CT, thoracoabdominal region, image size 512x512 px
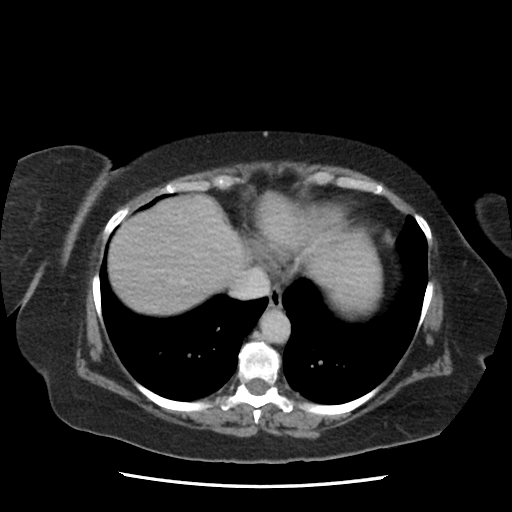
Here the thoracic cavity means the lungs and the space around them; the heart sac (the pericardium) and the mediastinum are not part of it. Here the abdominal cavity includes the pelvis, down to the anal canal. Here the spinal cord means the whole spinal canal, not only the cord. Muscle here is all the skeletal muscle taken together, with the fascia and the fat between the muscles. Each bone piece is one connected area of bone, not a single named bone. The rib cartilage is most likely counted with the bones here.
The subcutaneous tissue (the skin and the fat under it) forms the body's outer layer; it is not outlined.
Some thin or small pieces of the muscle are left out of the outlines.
Outlined structures:
thoracic cavity 1: [[406,215],[413,217],[427,243],[427,281],[409,344],[387,376],[362,395],[335,404],[309,401],[280,379],[282,357],[292,331],[283,304],[286,289],[305,277],[316,286],[327,309],[339,320],[363,323],[384,317],[404,293],[408,281],[406,258],[396,242]]
thoracic cavity 2: [[117,226],[108,242],[107,280],[117,299],[138,315],[152,318],[179,316],[219,294],[226,294],[240,301],[267,299],[263,311],[242,341],[237,354],[237,367],[234,375],[215,393],[190,401],[165,397],[134,378],[120,359],[104,322],[99,273],[106,242]]
thoracic cavity 3: [[173,193],[176,193],[174,195],[170,195],[167,197],[164,197],[163,198],[158,200],[155,203],[154,203],[149,207],[147,207],[145,209],[138,210],[138,208],[140,206],[147,203],[156,196],[158,196],[159,195],[162,195],[163,194],[172,194]]
pericardium: [[266,189],[283,189],[295,194],[311,194],[315,192],[349,194],[369,203],[373,219],[368,219],[365,226],[357,230],[325,236],[312,242],[297,262],[297,272],[290,277],[286,277],[258,260],[252,254],[243,234],[237,227],[239,220],[242,218],[243,201]]
mediastinum 1: [[256,259],[286,278],[290,278],[297,273],[303,276],[298,277],[286,288],[282,296],[282,304],[289,320],[291,331],[281,357],[273,347],[262,340],[251,340],[242,345],[244,339],[264,311],[268,299],[266,297],[260,297],[240,300],[227,294],[228,288]]
mediastinum 2: [[308,184],[315,184],[319,186],[331,184],[340,188],[359,190],[383,196],[398,210],[405,214],[403,225],[397,234],[383,221],[374,218],[372,214],[372,207],[366,199],[356,197],[355,195],[349,193],[325,193],[316,191],[308,193],[306,191],[306,186]]
mediastinum 3: [[235,186],[241,186],[238,191],[239,200],[237,202],[237,205],[241,208],[241,218],[238,220],[236,225],[234,225],[232,220],[230,219],[230,216],[228,215],[225,206],[220,200],[215,195],[206,192],[213,188],[219,190],[228,190]]
spinal cord: [[254,378],[259,378],[260,379],[262,379],[266,382],[266,383],[268,385],[268,387],[266,389],[266,390],[264,392],[264,393],[257,395],[256,394],[253,394],[249,391],[249,390],[247,387],[247,383],[250,380],[251,380]]
abdominal cavity 1: [[189,191],[205,192],[219,200],[233,225],[242,234],[255,259],[227,288],[226,293],[214,295],[189,311],[170,317],[152,317],[138,314],[126,307],[110,286],[107,274],[109,242],[118,225],[136,209],[138,211],[145,210],[164,198],[174,196],[177,192]]
abdominal cavity 2: [[374,219],[383,222],[396,234],[395,242],[405,258],[407,267],[405,289],[389,312],[384,316],[376,316],[363,322],[347,322],[336,317],[328,309],[320,290],[309,278],[298,272],[297,264],[304,252],[312,243],[325,237],[357,231],[365,227],[368,220]]
abdominal cavity 3: [[258,172],[262,172],[269,176],[281,175],[284,172],[292,173],[300,182],[307,184],[305,186],[305,191],[307,193],[295,193],[283,188],[266,188],[244,199],[240,207],[238,205],[238,202],[240,200],[239,197],[240,188],[247,184],[254,175]]
torso 1: [[249,128],[336,134],[397,154],[430,182],[495,274],[506,296],[496,342],[471,393],[436,436],[320,462],[210,463],[79,430],[53,411],[43,379],[19,351],[17,312],[7,314],[2,289],[0,238],[18,160],[50,146],[83,144],[117,167],[175,137]]
torso 2: [[485,189],[494,190],[500,192],[504,197],[506,207],[507,208],[507,213],[508,214],[508,221],[509,222],[509,237],[511,239],[511,259],[510,260],[500,253],[488,241],[479,229],[476,222],[472,216],[471,213],[471,202],[472,199],[476,193]]
bones 1: [[251,341],[279,354],[279,392],[296,402],[341,404],[385,383],[353,410],[331,415],[296,405],[285,412],[268,402],[255,423],[254,408],[245,402],[227,410],[217,403],[197,411],[164,408],[133,378],[168,399],[213,403],[235,391],[238,354]]; inner edge: [[254,378],[259,378],[260,379],[262,379],[266,382],[266,383],[268,385],[268,387],[266,389],[266,390],[264,392],[264,393],[257,395],[256,394],[253,394],[249,391],[249,390],[247,387],[247,383],[250,380],[251,380]]
bones 2: [[221,174],[226,174],[238,177],[244,180],[243,183],[239,182],[236,183],[228,189],[219,189],[213,187],[205,191],[189,190],[188,191],[177,191],[172,193],[163,193],[157,195],[158,191],[168,183],[197,181],[198,180],[210,180],[215,176]]
bones 3: [[318,171],[325,171],[334,175],[336,177],[338,176],[346,176],[355,179],[375,182],[380,184],[388,193],[385,195],[379,195],[374,194],[369,191],[364,191],[353,188],[340,187],[333,183],[319,185],[312,182],[309,182],[307,180],[307,178],[311,174]]
bones 4: [[124,207],[128,207],[129,208],[129,211],[128,212],[128,214],[126,215],[125,217],[114,228],[114,229],[109,235],[108,238],[106,240],[104,239],[104,235],[103,234],[103,231],[104,230],[104,227],[106,223],[108,221],[110,217],[116,211]]
bones 5: [[96,272],[98,272],[99,274],[99,289],[100,290],[100,297],[101,298],[101,313],[103,318],[104,327],[101,324],[100,320],[98,317],[98,314],[96,311],[96,308],[95,307],[95,304],[93,299],[93,292],[92,291],[92,278]]
bones 6: [[428,280],[432,280],[433,282],[433,285],[434,286],[433,288],[433,293],[432,294],[428,308],[422,321],[422,323],[418,331],[416,334],[415,334],[417,324],[421,313],[421,308],[422,307],[423,299],[424,298],[425,290],[426,289],[426,286],[427,285]]
bones 7: [[415,213],[418,213],[420,215],[421,215],[426,220],[430,228],[430,230],[431,231],[431,242],[429,244],[427,242],[427,240],[426,239],[426,237],[424,233],[422,231],[421,228],[419,226],[419,225],[417,223],[416,220],[413,216],[413,215]]
muscle 1: [[103,227],[103,239],[106,241],[99,270],[91,278],[95,311],[119,359],[133,377],[132,384],[159,407],[179,412],[197,412],[217,404],[223,411],[227,411],[245,403],[253,408],[255,424],[259,422],[262,413],[260,408],[268,403],[285,413],[291,412],[296,406],[307,413],[327,416],[358,408],[384,386],[386,382],[383,381],[394,369],[423,323],[435,287],[433,280],[428,279],[428,244],[432,242],[432,231],[438,243],[444,296],[440,335],[447,339],[453,370],[448,375],[425,377],[412,382],[384,403],[324,431],[314,439],[278,436],[262,430],[249,437],[238,437],[208,429],[190,428],[157,417],[123,396],[82,378],[75,369],[77,337],[80,322],[85,319],[88,256]]
muscle 2: [[259,160],[304,161],[310,164],[319,163],[324,165],[334,165],[349,168],[361,172],[378,181],[381,181],[421,214],[418,212],[415,212],[412,215],[406,214],[398,209],[384,196],[389,192],[380,183],[346,175],[336,176],[325,170],[318,170],[311,173],[306,178],[306,180],[309,183],[312,183],[304,183],[300,181],[292,172],[289,171],[284,171],[281,174],[272,175],[269,175],[262,171],[258,171],[247,183],[243,185],[235,185],[239,183],[243,184],[245,182],[243,178],[226,173],[215,175],[210,179],[168,182],[157,191],[154,197],[140,205],[130,213],[130,208],[128,206],[124,206],[116,210],[118,206],[125,203],[134,196],[149,188],[176,177],[203,171],[213,167]]
muscle 3: [[234,376],[237,380],[237,383],[235,385],[235,383],[232,382],[229,385],[229,388],[230,389],[233,388],[234,389],[234,391],[231,394],[218,395],[214,399],[213,402],[201,400],[201,399],[203,398],[208,397],[218,392],[226,384],[227,384]]
muscle 4: [[279,380],[282,382],[284,381],[290,389],[291,389],[294,392],[297,393],[304,399],[307,400],[306,401],[303,401],[302,402],[300,401],[296,401],[294,399],[289,397],[286,394],[284,393],[281,393],[280,392],[280,389],[279,388],[279,385],[278,384]]